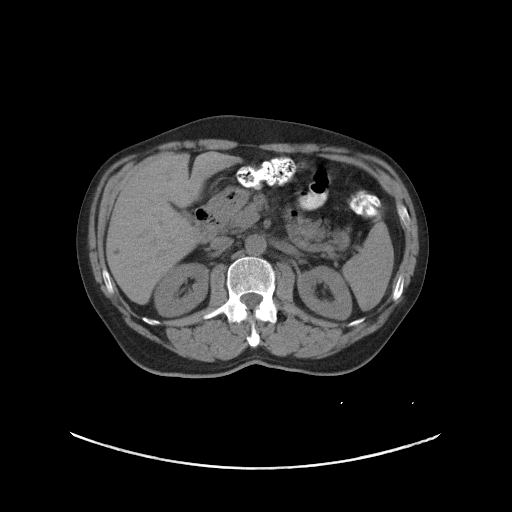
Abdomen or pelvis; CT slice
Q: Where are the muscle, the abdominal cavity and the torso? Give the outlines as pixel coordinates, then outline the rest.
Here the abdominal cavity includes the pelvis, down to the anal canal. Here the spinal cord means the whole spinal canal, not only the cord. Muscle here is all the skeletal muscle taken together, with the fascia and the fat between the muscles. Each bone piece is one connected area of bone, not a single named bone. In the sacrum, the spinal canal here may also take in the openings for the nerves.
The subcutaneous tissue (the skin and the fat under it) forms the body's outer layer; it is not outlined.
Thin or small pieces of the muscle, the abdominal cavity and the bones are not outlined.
A: The muscle is outlined by 202 138; 236 140; 244 144; 338 145; 378 157; 396 172; 414 207; 419 250; 414 273; 404 298; 381 327; 338 352; 318 359; 279 356; 263 346; 256 347; 261 341; 256 321; 274 324; 278 320; 279 306; 273 298; 276 289; 274 266; 278 262; 287 264; 294 274; 293 302; 317 318; 347 323; 347 327; 352 327; 363 322; 367 316; 375 314; 390 296; 396 301; 404 290; 404 277; 400 266; 406 239; 402 224; 408 229; 411 218; 407 207; 401 202; 396 204; 394 197; 386 192; 369 172; 359 166; 313 154; 245 146; 229 149; 162 150; 143 162; 127 178; 112 203; 103 232; 105 266; 101 275; 110 294; 114 293; 114 287; 145 323; 158 326; 163 320; 182 318; 205 309; 210 301; 211 272; 217 264; 223 264; 226 268; 227 299; 204 313; 202 318; 208 320; 224 314; 229 324; 248 321; 250 332; 245 339; 251 347; 227 360; 201 361; 183 357; 127 325; 121 313; 101 291; 89 260; 89 210; 98 183; 107 168; 125 156; 166 142. The abdominal cavity is outlined by 237 147; 354 165; 393 197; 404 250; 391 295; 375 313; 348 322; 314 316; 294 302; 292 268; 284 261; 273 267; 254 255; 227 268; 217 263; 208 305; 188 315; 159 320; 138 314; 124 300; 106 267; 103 242; 125 182; 162 151. The torso is outlined by 220 114; 294 121; 349 135; 386 152; 413 183; 429 234; 423 285; 385 345; 358 369; 339 375; 312 375; 252 364; 210 378; 158 375; 138 367; 122 352; 92 307; 78 269; 75 236; 80 206; 95 172; 109 156; 128 145; 192 120. The bones appear in 4 outlined pieces: piece 1: 243 256; 263 258; 271 264; 275 272; 272 298; 278 306; 277 320; 274 323; 255 321; 255 329; 260 338; 255 347; 250 346; 246 339; 251 332; 248 320; 229 323; 224 313; 208 319; 203 318; 204 314; 228 299; 227 269; 233 261; inner edge: 248 293; 254 293; 255 294; 258 294; 259 295; 260 295; 262 298; 261 299; 261 300; 259 302; 259 303; 252 310; 250 310; 249 309; 248 309; 248 307; 243 302; 242 302; 240 299; 240 298; 242 295; 243 295; 244 294; 247 294; piece 2: 397 203; 401 203; 403 204; 406 207; 407 209; 407 211; 408 212; 408 214; 410 218; 410 223; 409 224; 409 227; 408 228; 406 227; 402 223; 400 219; 400 217; 397 211; 397 207; 396 206; piece 3: 400 273; 401 273; 402 274; 402 276; 403 277; 403 290; 402 291; 402 293; 401 294; 401 295; 396 300; 393 300; 392 299; 392 293; 393 292; 393 290; 394 289; 394 287; 396 284; 396 282; 397 281; 397 279; 398 278; 398 275; piece 4: 105 267; 107 271; 109 273; 109 275; 110 276; 110 278; 112 282; 112 285; 114 289; 114 291; 113 293; 110 293; 107 290; 107 288; 105 285; 105 283; 103 279; 103 276; 102 275; 102 270; 103 268. The spinal cord is outlined by 248 293; 254 293; 255 294; 258 294; 259 295; 260 295; 262 298; 261 299; 261 300; 259 302; 259 303; 252 310; 250 310; 249 309; 248 309; 248 307; 243 302; 242 302; 240 299; 240 298; 242 295; 243 295; 244 294; 247 294.